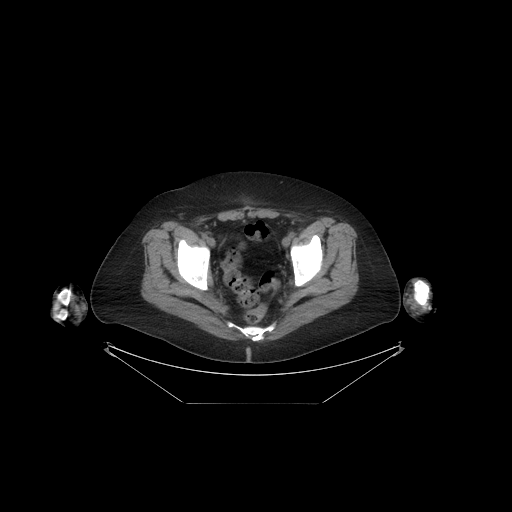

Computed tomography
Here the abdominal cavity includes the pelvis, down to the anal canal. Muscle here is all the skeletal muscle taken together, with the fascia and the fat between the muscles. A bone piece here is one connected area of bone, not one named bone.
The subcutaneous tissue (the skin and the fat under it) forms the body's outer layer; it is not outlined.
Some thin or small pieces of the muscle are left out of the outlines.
{"abdominal_cavity":[[[246,216],[250,218],[276,218],[284,216],[303,223],[304,225],[290,242],[289,257],[292,276],[278,316],[264,326],[238,325],[233,321],[228,305],[215,293],[214,279],[210,265],[211,251],[208,244],[197,231],[204,222],[212,219],[220,221],[239,220]]],"torso":[[[237,170],[265,171],[299,178],[326,188],[353,204],[375,229],[395,271],[403,302],[397,316],[390,322],[341,342],[297,358],[273,363],[210,360],[131,328],[107,324],[97,319],[89,306],[93,278],[114,240],[135,213],[159,193],[180,187],[205,175]]],"right_arm":[[[68,281],[71,281],[77,284],[81,288],[83,291],[85,299],[88,303],[87,315],[86,316],[86,318],[81,324],[74,328],[70,328],[67,326],[63,326],[56,323],[51,318],[48,312],[49,305],[50,304],[52,294],[54,290],[60,284]]],"bones":[[[180,239],[184,239],[186,242],[190,245],[198,245],[199,246],[203,246],[205,245],[209,248],[210,251],[210,259],[209,260],[209,266],[207,271],[207,289],[206,290],[201,290],[189,284],[179,274],[178,268],[177,267],[177,248]],[[314,234],[318,235],[320,238],[321,246],[322,247],[323,256],[322,257],[322,263],[320,270],[310,280],[306,282],[303,285],[301,286],[296,286],[294,284],[293,268],[292,267],[292,263],[290,257],[290,247],[291,245],[293,244],[305,244],[307,243]],[[228,321],[231,321],[238,326],[260,326],[261,327],[264,327],[273,322],[275,323],[275,326],[271,331],[265,331],[263,333],[263,339],[257,341],[253,341],[251,340],[249,337],[246,337],[244,334],[238,329],[234,327],[229,327],[227,325],[227,322]],[[419,279],[427,283],[427,284],[429,286],[429,290],[430,291],[429,292],[429,297],[428,298],[428,303],[431,307],[430,309],[424,309],[415,300],[414,298],[414,289],[413,288],[413,284],[415,283],[417,281],[417,280]],[[64,288],[67,288],[68,289],[69,289],[71,291],[70,292],[70,298],[69,299],[69,302],[68,303],[68,304],[66,306],[65,306],[64,305],[63,305],[58,300],[58,299],[57,298],[57,296],[58,295],[58,294],[61,291],[61,290]],[[61,308],[63,308],[64,309],[65,309],[67,311],[67,316],[66,317],[66,318],[64,320],[58,320],[57,319],[56,319],[54,317],[55,316],[55,315],[56,315],[59,312],[59,310]]],"muscle":[[[245,204],[349,220],[357,233],[359,275],[352,299],[281,338],[258,342],[275,328],[293,275],[293,284],[303,286],[321,270],[324,253],[316,233],[305,243],[291,244],[305,226],[303,222],[284,215],[246,215],[204,221],[196,231],[207,245],[180,238],[176,267],[189,285],[206,291],[210,266],[214,293],[227,305],[232,320],[226,325],[249,339],[217,337],[146,301],[140,294],[144,272],[141,240],[149,229],[164,221]],[[72,291],[75,293],[83,303],[83,310],[81,316],[77,320],[69,320],[66,319],[68,316],[68,311],[63,307],[61,307],[58,310],[58,312],[55,314],[54,316],[53,315],[53,306],[55,300],[57,299],[63,306],[66,307],[70,302],[71,292]],[[414,279],[415,279],[416,281],[412,284],[412,288],[413,289],[413,298],[424,310],[427,310],[427,311],[419,315],[411,315],[408,310],[407,306],[404,303],[404,301],[403,300],[404,297],[406,295],[407,287],[409,282],[411,280],[413,280]]],"left_arm":[[[413,276],[424,276],[426,277],[431,282],[433,289],[434,290],[434,301],[436,305],[436,311],[433,314],[430,315],[424,322],[418,322],[414,320],[406,313],[404,309],[404,302],[403,301],[403,290],[405,286],[405,283],[407,281],[407,280]]]}